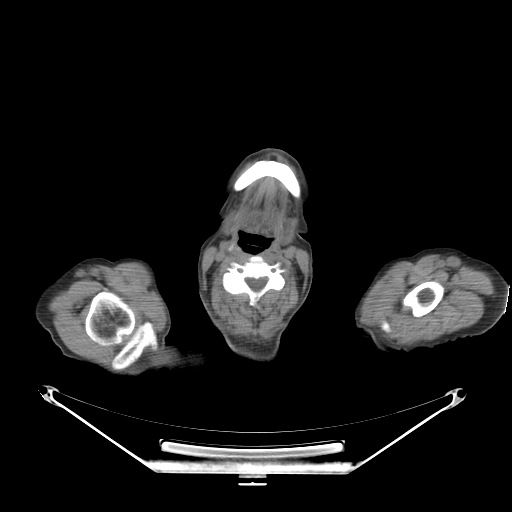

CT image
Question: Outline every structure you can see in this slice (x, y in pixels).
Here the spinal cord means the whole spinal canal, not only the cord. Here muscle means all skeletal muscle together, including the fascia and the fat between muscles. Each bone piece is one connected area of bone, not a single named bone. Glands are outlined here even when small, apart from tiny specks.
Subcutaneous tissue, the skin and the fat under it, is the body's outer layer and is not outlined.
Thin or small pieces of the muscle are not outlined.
Answer: {"right_arm":[[[97,256],[110,260],[137,257],[148,262],[171,316],[166,341],[177,342],[181,346],[200,342],[212,356],[214,339],[217,340],[223,349],[225,362],[214,363],[209,371],[199,374],[167,371],[122,376],[63,355],[36,320],[34,303],[40,291],[72,265]]],"left_arm":[[[440,246],[460,249],[471,256],[491,263],[500,271],[509,283],[509,297],[505,314],[489,330],[480,335],[459,338],[433,348],[421,347],[410,352],[379,350],[362,336],[362,332],[354,324],[353,313],[358,300],[376,271],[388,260],[410,256],[425,248]]],"spinal_cord":[[[261,277],[266,277],[267,278],[267,280],[266,281],[266,282],[265,283],[265,284],[263,286],[263,287],[257,291],[255,291],[254,290],[253,290],[248,285],[248,284],[246,282],[246,278],[254,278],[255,279],[258,279]]],"muscle":[{"outer":[[269,153],[277,153],[285,157],[296,168],[300,177],[302,199],[299,210],[299,222],[295,217],[288,219],[281,228],[280,239],[285,244],[291,242],[298,228],[297,239],[308,254],[309,270],[305,286],[295,307],[286,315],[275,334],[270,340],[256,341],[231,334],[216,319],[204,291],[202,257],[206,247],[221,231],[226,235],[230,234],[234,214],[230,212],[225,217],[225,215],[231,198],[232,183],[237,173],[248,161]],"holes":[[[241,231],[269,238],[269,245],[257,253],[267,263],[280,262],[285,269],[281,273],[285,281],[283,287],[280,290],[269,289],[260,297],[256,307],[250,305],[246,293],[231,294],[222,283],[223,274],[231,262],[243,264],[254,254],[244,250],[238,243]],[[259,160],[275,160],[288,165],[293,171],[299,183],[300,190],[301,191],[300,196],[298,198],[293,196],[278,179],[272,176],[263,176],[260,178],[256,179],[241,190],[238,191],[234,190],[233,189],[233,184],[235,180],[247,168],[248,168],[253,163]]]},{"outer":[[434,253],[456,255],[488,271],[494,277],[495,293],[482,317],[476,323],[469,327],[443,334],[432,340],[421,340],[411,344],[399,344],[393,339],[387,339],[384,337],[375,327],[360,322],[360,308],[362,303],[369,291],[386,270],[396,262],[407,261]],"holes":[[[431,280],[435,280],[439,282],[443,286],[444,288],[444,293],[443,294],[443,296],[437,305],[432,310],[422,316],[415,317],[412,315],[411,311],[409,309],[403,309],[402,308],[401,301],[403,297],[412,288],[422,282],[424,282],[425,281],[430,281]],[[383,321],[386,321],[389,324],[389,325],[390,326],[390,328],[391,329],[391,330],[389,332],[386,332],[385,331],[384,331],[381,328],[381,323]]]},[[131,261],[140,262],[148,269],[154,291],[165,308],[166,324],[160,342],[177,354],[178,359],[172,363],[124,369],[135,363],[146,347],[156,351],[159,342],[153,324],[146,320],[136,325],[133,309],[113,291],[97,292],[91,298],[84,318],[86,334],[100,346],[119,345],[125,336],[129,336],[111,360],[111,368],[71,351],[60,338],[52,322],[47,305],[58,291],[69,284],[77,269],[89,264],[112,267],[122,262]]],"parotid_glands":[[[291,218],[295,218],[297,219],[299,223],[299,225],[297,228],[297,231],[293,239],[291,241],[287,243],[285,243],[283,241],[282,241],[281,239],[281,232],[282,231],[282,228],[284,227],[284,226],[286,224],[286,222]],[[230,213],[231,213],[232,214],[233,214],[233,218],[232,219],[232,222],[231,223],[231,229],[229,231],[229,234],[226,234],[222,230],[222,228],[223,227],[223,222],[224,221],[224,220],[225,219],[225,218],[227,216],[227,215],[228,214],[229,214]]],"head_and_neck":[{"outer":[[266,147],[280,148],[291,154],[301,165],[311,188],[311,197],[304,208],[308,232],[303,236],[312,249],[313,278],[303,305],[281,336],[279,359],[258,363],[240,358],[221,338],[213,337],[198,292],[197,260],[202,243],[218,226],[226,179],[245,156]],"hole":[[241,231],[247,232],[251,234],[257,234],[261,236],[264,236],[265,237],[269,238],[271,240],[269,243],[269,245],[268,245],[267,247],[264,247],[257,253],[252,253],[249,251],[246,251],[244,250],[238,243],[238,241],[239,240],[239,234]]}],"bones":[[[101,291],[110,291],[121,297],[132,309],[135,325],[138,326],[146,321],[150,322],[157,337],[158,346],[156,350],[146,346],[135,362],[120,370],[112,368],[112,360],[130,336],[125,335],[119,344],[104,346],[93,341],[85,330],[85,318],[90,302]],{"outer":[[254,254],[260,255],[271,265],[280,262],[281,267],[285,269],[285,271],[281,273],[285,281],[283,287],[280,290],[269,289],[260,297],[256,307],[250,305],[249,296],[246,293],[231,294],[224,289],[222,283],[223,274],[231,262],[233,261],[243,264]],"hole":[[261,277],[266,277],[267,278],[267,280],[266,281],[266,282],[265,283],[265,284],[263,286],[263,287],[257,291],[255,291],[254,290],[253,290],[248,285],[248,284],[246,282],[246,278],[254,278],[255,279],[258,279]]},[[259,160],[275,160],[288,165],[293,171],[299,183],[300,190],[301,191],[300,196],[298,198],[293,196],[278,179],[272,176],[263,176],[260,178],[256,179],[241,190],[238,191],[234,190],[233,189],[233,184],[235,180],[247,168],[248,168],[253,163]],[[431,280],[435,280],[439,282],[443,286],[444,288],[444,293],[443,294],[443,296],[437,305],[432,310],[422,316],[415,317],[412,315],[411,311],[409,309],[403,309],[402,308],[401,301],[403,297],[412,288],[422,282],[424,282],[425,281],[430,281]],[[383,321],[386,321],[389,324],[389,325],[390,326],[390,328],[391,329],[391,330],[389,332],[386,332],[385,331],[384,331],[381,328],[381,323]]]}